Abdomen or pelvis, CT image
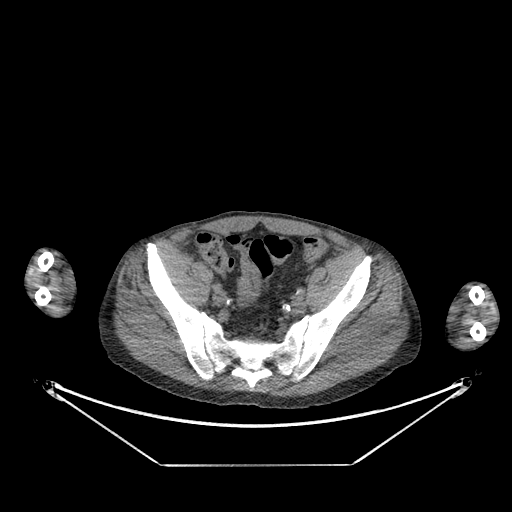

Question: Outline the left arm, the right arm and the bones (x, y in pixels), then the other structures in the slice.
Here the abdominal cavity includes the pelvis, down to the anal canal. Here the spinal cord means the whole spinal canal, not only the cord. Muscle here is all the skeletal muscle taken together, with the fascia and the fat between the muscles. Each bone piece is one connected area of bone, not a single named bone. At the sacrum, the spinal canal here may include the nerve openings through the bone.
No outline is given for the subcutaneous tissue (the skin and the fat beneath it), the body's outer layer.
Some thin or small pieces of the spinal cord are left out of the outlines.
Answer: Outlines (x, y in pixels):
left arm: [[473,279],[482,281],[486,283],[490,287],[498,304],[499,312],[500,313],[500,322],[496,332],[489,341],[485,343],[481,347],[473,351],[462,352],[453,348],[448,344],[444,336],[444,325],[445,324],[445,319],[446,318],[447,311],[453,297],[464,283]]
right arm: [[42,246],[52,246],[62,252],[69,261],[73,269],[75,279],[76,280],[77,294],[76,295],[76,301],[74,307],[69,314],[62,318],[59,318],[58,319],[51,318],[40,311],[38,308],[30,301],[23,286],[23,277],[28,260],[33,252],[37,248]]
bones 1: [[148,242],[156,244],[183,299],[221,324],[228,339],[280,342],[292,323],[333,299],[366,254],[372,261],[362,298],[339,323],[313,369],[292,381],[272,366],[272,375],[251,391],[243,378],[231,375],[229,365],[209,380],[192,367],[171,316],[150,284]]; inner edge: [[268,359],[269,359],[270,360],[271,360],[272,361],[273,362],[273,363],[273,364],[272,365],[271,366],[270,366],[269,367],[268,367],[267,367],[266,367],[265,366],[264,365],[263,364],[263,363],[264,362],[265,361],[266,360],[267,360]]
bones 2: [[40,285],[43,285],[44,286],[46,286],[48,287],[49,289],[49,291],[52,295],[52,297],[51,299],[49,301],[47,305],[45,306],[38,306],[36,304],[36,301],[34,298],[34,294],[36,290],[39,287]]
bones 3: [[44,250],[48,250],[50,251],[52,253],[53,255],[53,257],[54,258],[54,260],[53,261],[53,263],[52,265],[47,270],[47,271],[45,272],[40,271],[39,269],[39,267],[38,266],[38,264],[37,263],[37,258],[38,256]]
bones 4: [[474,320],[476,320],[477,321],[480,321],[483,324],[483,325],[485,327],[485,328],[486,329],[486,335],[485,336],[484,339],[482,341],[476,341],[475,340],[474,340],[472,338],[472,337],[470,335],[470,334],[469,333],[469,329],[473,323],[472,322]]
bones 5: [[473,285],[480,285],[484,291],[484,298],[483,299],[483,301],[482,302],[482,303],[479,305],[474,305],[473,304],[472,301],[469,298],[469,296],[468,295],[468,292],[469,291],[469,290],[470,289],[471,286],[472,286]]
spinal cord 1: [[268,359],[269,359],[270,360],[271,360],[272,361],[273,362],[273,363],[273,364],[272,365],[271,366],[270,366],[269,367],[268,367],[267,367],[266,367],[265,366],[264,365],[263,364],[263,363],[264,362],[265,361],[266,360],[267,360]]
spinal cord 2: [[235,358],[236,358],[237,359],[238,360],[238,361],[237,362],[236,363],[235,363],[234,362],[233,361],[233,360],[234,359]]
abdominal cavity: [[258,223],[272,232],[322,236],[331,246],[332,257],[324,265],[313,269],[307,277],[305,301],[312,313],[292,322],[280,341],[226,337],[222,324],[201,309],[208,299],[212,284],[211,269],[187,252],[187,242],[195,231],[210,231],[221,235],[241,234]]
torso: [[229,210],[289,213],[336,226],[383,245],[399,262],[419,309],[422,340],[415,359],[395,369],[372,387],[344,400],[293,410],[255,405],[218,405],[183,398],[148,384],[112,363],[99,340],[97,314],[108,281],[122,254],[132,243],[144,236],[178,223]]
muscle 1: [[230,216],[305,222],[387,256],[400,274],[409,319],[407,336],[395,354],[362,375],[316,393],[292,397],[254,392],[260,380],[273,375],[272,367],[290,376],[292,382],[314,369],[340,323],[363,298],[373,257],[366,253],[332,299],[312,312],[306,301],[308,277],[333,257],[324,236],[272,231],[261,222],[241,233],[195,230],[186,242],[186,252],[211,272],[207,299],[199,309],[180,294],[157,244],[151,241],[180,228]]
muscle 2: [[144,243],[146,243],[146,271],[149,284],[170,316],[191,367],[202,380],[209,381],[214,377],[215,373],[221,374],[229,366],[231,367],[230,375],[243,379],[250,391],[229,392],[194,387],[150,368],[129,354],[114,332],[114,295],[119,272],[128,254]]
muscle 3: [[471,284],[480,284],[490,293],[496,309],[497,317],[490,333],[487,335],[487,329],[484,324],[480,320],[474,319],[471,322],[468,333],[474,341],[479,342],[471,347],[463,348],[456,345],[454,342],[454,339],[448,329],[448,321],[456,301]] with a hole at [[473,285],[480,285],[484,291],[484,298],[483,299],[483,301],[482,302],[482,303],[479,305],[474,305],[473,304],[472,301],[469,298],[469,296],[468,295],[468,292],[469,291],[469,290],[470,289],[471,286],[472,286]]
muscle 4: [[42,250],[36,258],[36,263],[40,272],[47,272],[53,265],[55,260],[51,251],[53,251],[63,261],[63,265],[71,278],[71,298],[68,306],[59,313],[51,313],[45,307],[53,297],[48,286],[40,284],[33,296],[27,285],[28,270],[34,257]]